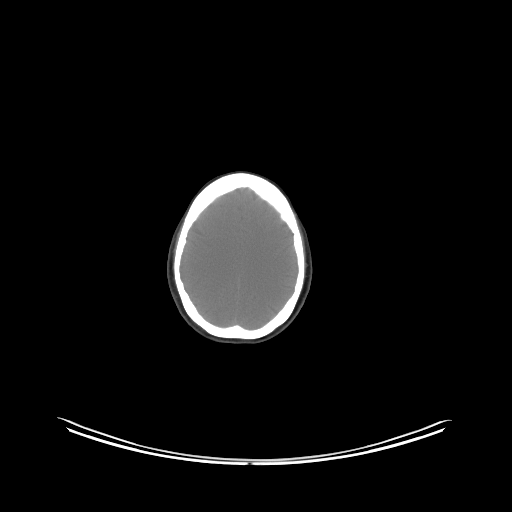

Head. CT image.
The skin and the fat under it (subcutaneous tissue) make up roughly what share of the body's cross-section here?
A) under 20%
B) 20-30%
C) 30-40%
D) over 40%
A) under 20%
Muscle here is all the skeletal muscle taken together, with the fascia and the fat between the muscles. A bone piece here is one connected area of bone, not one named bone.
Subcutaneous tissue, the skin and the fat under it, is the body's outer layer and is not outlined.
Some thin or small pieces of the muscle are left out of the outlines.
Outlined structures:
head: 234 170; 247 170; 261 174; 276 182; 283 189; 307 231; 313 265; 309 293; 293 324; 279 339; 272 343; 255 347; 246 354; 228 354; 216 351; 206 347; 198 341; 178 315; 166 279; 166 258; 170 238; 190 200; 208 180; 216 175
bones: 232 172; 249 172; 259 175; 275 184; 281 190; 295 213; 302 237; 304 251; 304 281; 293 311; 289 317; 273 331; 254 339; 224 338; 214 336; 206 332; 186 313; 174 281; 173 260; 175 247; 188 207; 196 194; 204 186; 216 178, around a hole outlined by 240 188; 251 190; 277 212; 280 219; 291 232; 292 247; 296 262; 296 275; 290 295; 272 317; 260 326; 254 328; 247 328; 237 323; 222 326; 206 319; 200 313; 190 297; 181 277; 182 256; 189 231; 193 224; 200 214; 217 198
muscle 1: 299 224; 300 226; 300 228; 301 229; 301 231; 303 234; 303 238; 304 239; 304 244; 305 245; 305 252; 306 253; 306 272; 305 273; 305 278; 305 251; 304 250; 304 244; 303 243; 303 237; 302 236; 302 234; 301 233; 301 231; 299 227
muscle 2: 180 226; 180 229; 179 230; 179 232; 178 233; 178 235; 177 236; 177 238; 176 239; 175 242; 175 246; 174 247; 174 253; 173 254; 173 259; 173 249; 174 248; 174 245; 175 244; 175 240; 176 236; 177 235; 177 233; 178 232; 178 230
brain: 240 188; 251 190; 277 212; 280 219; 291 232; 292 247; 296 262; 296 275; 290 295; 272 317; 260 326; 254 328; 247 328; 237 323; 222 326; 206 319; 200 313; 190 297; 181 277; 182 256; 189 231; 193 224; 200 214; 217 198